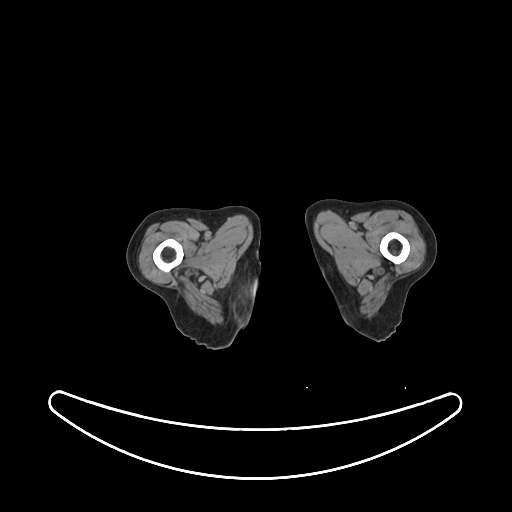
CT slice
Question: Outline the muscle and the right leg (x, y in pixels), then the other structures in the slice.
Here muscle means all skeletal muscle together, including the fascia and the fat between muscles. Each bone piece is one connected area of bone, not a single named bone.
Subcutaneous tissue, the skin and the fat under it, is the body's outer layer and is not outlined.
Answer: {"muscle":[{"outer":[[236,214],[243,214],[248,217],[253,227],[253,237],[237,262],[231,280],[232,305],[226,323],[224,325],[212,325],[192,312],[175,290],[164,288],[143,276],[138,266],[138,249],[146,229],[153,223],[173,219],[183,220],[190,217],[202,222],[216,224]],"hole":[[167,238],[173,238],[177,241],[178,241],[181,244],[182,246],[182,248],[183,249],[183,258],[181,262],[178,265],[172,268],[168,272],[165,272],[161,270],[155,264],[153,260],[153,258],[152,257],[152,254],[156,246],[159,243],[160,243]]},{"outer":[[326,208],[332,211],[339,210],[345,212],[357,210],[374,212],[381,209],[404,210],[414,219],[425,242],[426,253],[421,266],[392,286],[385,302],[378,313],[371,319],[367,319],[358,313],[354,294],[337,270],[333,258],[321,247],[314,235],[314,214]],"hole":[[390,231],[395,231],[403,235],[408,240],[409,242],[409,245],[410,246],[409,253],[407,257],[404,261],[398,264],[395,264],[393,263],[390,260],[385,258],[382,255],[379,249],[379,244],[380,243],[380,241],[382,237],[386,233]]}],"right_leg":[[[228,205],[249,207],[259,217],[261,225],[259,244],[261,278],[256,294],[256,309],[248,324],[227,348],[213,350],[203,345],[197,345],[175,327],[165,302],[158,295],[139,284],[130,273],[126,263],[126,249],[138,224],[153,211],[172,207],[213,209]]],"bones":[[[167,238],[173,238],[177,241],[178,241],[181,244],[182,246],[182,248],[183,249],[183,258],[181,262],[178,265],[172,268],[168,272],[165,272],[161,270],[155,264],[153,260],[153,258],[152,257],[152,254],[156,246],[159,243],[160,243]],[[390,231],[395,231],[403,235],[408,240],[409,242],[409,245],[410,246],[409,253],[407,257],[404,261],[398,264],[395,264],[393,263],[390,260],[385,258],[382,255],[379,249],[379,244],[380,243],[380,241],[382,237],[386,233]]],"left_leg":[[[326,198],[336,198],[355,202],[379,199],[402,200],[414,206],[424,216],[435,233],[437,242],[435,261],[429,271],[409,289],[402,312],[401,322],[397,326],[395,332],[383,341],[377,342],[361,335],[343,320],[314,258],[304,223],[304,214],[309,205]]]}